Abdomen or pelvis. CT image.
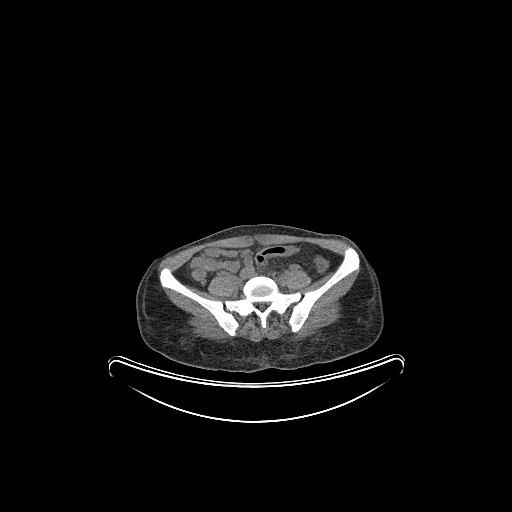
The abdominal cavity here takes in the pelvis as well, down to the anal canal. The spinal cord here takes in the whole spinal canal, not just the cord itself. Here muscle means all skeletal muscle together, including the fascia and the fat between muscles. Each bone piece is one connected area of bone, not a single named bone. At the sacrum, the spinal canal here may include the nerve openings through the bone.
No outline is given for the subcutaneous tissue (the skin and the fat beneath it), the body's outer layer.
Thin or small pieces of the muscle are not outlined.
The muscle appears in 3 outlined pieces: piece 1: [[254,234],[338,239],[351,245],[344,249],[341,260],[338,254],[305,241],[271,244],[256,242],[246,247],[207,246],[198,250],[174,274],[169,267],[164,266],[158,275],[159,283],[163,288],[195,301],[206,309],[231,337],[236,335],[239,327],[233,313],[242,317],[255,314],[260,319],[260,326],[264,329],[267,317],[272,312],[281,315],[291,306],[288,324],[291,332],[296,333],[308,318],[315,302],[339,281],[358,270],[360,265],[360,272],[352,286],[340,299],[342,317],[319,334],[297,341],[281,342],[263,339],[259,342],[252,342],[239,339],[231,343],[195,337],[189,326],[189,317],[186,317],[186,314],[171,302],[160,287],[157,277],[159,264],[167,257],[193,246]]; piece 2: [[228,272],[237,276],[244,283],[241,289],[243,296],[240,298],[237,298],[236,299],[226,299],[223,301],[220,299],[211,299],[200,295],[198,293],[193,291],[186,285],[192,286],[202,291],[207,291],[208,290],[208,285],[210,281],[216,274],[220,276]]; piece 3: [[289,268],[294,270],[303,270],[306,275],[311,279],[311,281],[312,282],[316,280],[318,280],[320,278],[325,276],[331,272],[333,272],[325,282],[314,289],[307,290],[303,293],[301,293],[299,291],[283,292],[280,290],[279,286],[275,280]]. The bones are outlined by [[348,246],[358,253],[358,269],[314,302],[296,332],[291,305],[272,311],[264,328],[255,313],[233,312],[238,327],[231,336],[206,308],[159,279],[167,267],[193,292],[223,302],[242,298],[245,282],[257,275],[273,279],[283,293],[303,294],[328,280]]; inner edge: [[255,302],[269,302],[270,303],[263,310],[259,310],[254,305],[254,304],[253,303],[254,303]]. The abdominal cavity is outlined by [[298,242],[317,245],[340,257],[333,271],[313,281],[303,269],[289,267],[275,279],[265,274],[257,274],[244,282],[228,271],[220,275],[216,273],[209,281],[207,290],[202,290],[183,283],[175,275],[198,251],[207,247],[246,248],[256,243],[271,245]]. The torso is outlined by [[264,223],[340,234],[359,246],[375,269],[380,284],[384,325],[377,341],[363,351],[328,363],[316,363],[292,370],[267,368],[250,373],[196,368],[172,361],[150,349],[140,336],[135,310],[136,289],[150,263],[156,257],[176,247],[222,229],[242,224]]. The spinal cord is outlined by [[255,302],[269,302],[270,303],[263,310],[259,310],[254,305],[254,304],[253,303],[254,303]].